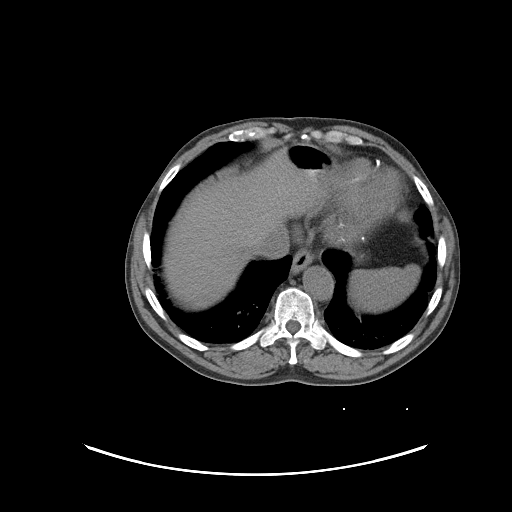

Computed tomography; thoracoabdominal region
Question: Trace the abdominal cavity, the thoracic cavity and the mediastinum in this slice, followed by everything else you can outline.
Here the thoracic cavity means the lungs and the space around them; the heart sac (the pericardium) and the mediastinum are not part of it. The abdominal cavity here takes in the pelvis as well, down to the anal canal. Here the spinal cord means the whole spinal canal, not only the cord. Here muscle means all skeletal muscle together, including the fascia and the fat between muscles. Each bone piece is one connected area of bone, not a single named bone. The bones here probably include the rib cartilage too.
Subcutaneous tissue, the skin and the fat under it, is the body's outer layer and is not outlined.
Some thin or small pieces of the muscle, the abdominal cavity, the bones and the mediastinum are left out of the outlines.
Answer: The abdominal cavity appears in 2 outlined pieces: piece 1: 265 140; 317 141; 341 152; 335 158; 339 168; 335 184; 317 207; 288 223; 288 255; 276 259; 252 260; 225 300; 205 311; 186 313; 168 299; 160 275; 162 242; 167 224; 184 196; 200 180; 236 156; 251 150; 255 145; 252 141; piece 2: 403 207; 411 209; 411 219; 419 227; 419 233; 429 253; 429 260; 423 268; 420 282; 415 291; 401 305; 387 313; 380 315; 363 315; 354 312; 346 304; 345 286; 351 268; 351 257; 346 252; 362 247. The thoracic cavity appears in 2 outlined pieces: piece 1: 224 141; 254 145; 200 179; 168 220; 159 257; 167 299; 186 314; 205 312; 226 300; 252 261; 286 256; 291 261; 286 278; 272 294; 272 314; 264 325; 232 343; 204 343; 183 332; 157 297; 150 233; 157 203; 167 185; 210 146; piece 2: 424 203; 432 220; 437 263; 434 289; 425 310; 410 331; 386 346; 360 349; 340 341; 319 319; 333 297; 336 284; 323 261; 323 254; 335 249; 349 255; 344 296; 345 304; 354 313; 380 316; 395 310; 416 291; 430 260; 414 217. The mediastinum appears in 3 outlined pieces: piece 1: 304 216; 305 232; 311 240; 333 248; 325 250; 322 254; 322 261; 335 280; 333 294; 328 305; 318 317; 310 295; 295 286; 288 286; 280 290; 273 305; 272 302; 276 288; 287 278; 292 261; 289 255; 290 235; 288 225; 291 221; piece 2: 325 142; 326 143; 338 144; 339 145; 345 145; 346 146; 373 147; 379 150; 381 150; 384 153; 387 154; 391 159; 393 160; 393 161; 377 156; 368 152; 363 152; 362 151; 358 151; 357 150; 345 150; 344 151; 340 151; 325 143; piece 3: 410 179; 411 179; 413 182; 417 191; 419 193; 421 198; 424 202; 417 208; 417 209; 414 212; 414 214; 413 215; 413 217; 417 224; 412 219; 413 218; 413 211; 412 209; 407 206; 412 198; 412 193; 413 192; 413 187. The bones appear in 11 outlined pieces: piece 1: 288 287; 308 294; 320 323; 340 342; 359 349; 362 356; 345 355; 328 343; 318 350; 305 338; 301 338; 295 348; 295 364; 288 362; 290 348; 282 337; 265 347; 257 341; 243 349; 230 349; 231 344; 253 334; 269 321; 278 293, around a hole outlined by 290 320; 293 320; 294 321; 296 321; 297 322; 298 322; 299 323; 299 324; 300 325; 300 327; 299 328; 299 329; 297 331; 296 331; 294 333; 291 333; 286 328; 286 324; 287 323; 287 322; 288 321; 289 321; piece 2: 315 129; 319 129; 322 131; 326 131; 327 130; 338 130; 351 135; 359 136; 369 145; 352 145; 345 142; 333 143; 332 142; 326 142; 322 139; 316 140; 313 138; 308 140; 302 139; 300 138; 300 135; 303 133; 308 133; 310 131; piece 3: 252 126; 260 126; 261 127; 274 127; 276 129; 276 132; 275 133; 273 134; 267 134; 264 137; 259 139; 248 139; 243 141; 231 141; 230 140; 226 140; 227 139; 227 136; 231 132; 235 130; 244 129; 245 128; 248 128; piece 4: 146 287; 149 287; 155 293; 155 294; 156 295; 156 297; 158 299; 162 308; 164 310; 165 313; 167 315; 167 319; 166 320; 164 320; 163 319; 162 319; 156 313; 156 312; 153 309; 153 308; 149 303; 149 302; 145 295; 145 288; piece 5: 409 332; 412 332; 414 334; 414 336; 411 340; 411 341; 408 344; 407 344; 401 349; 395 352; 393 352; 389 354; 383 354; 382 353; 382 351; 384 350; 389 345; 390 345; 393 342; 399 339; 404 335; 407 334; piece 6: 412 175; 416 175; 419 178; 420 178; 421 179; 421 180; 426 185; 426 186; 431 195; 431 197; 433 200; 433 205; 432 206; 429 207; 425 203; 424 200; 422 198; 420 193; 418 191; 418 190; 417 189; 417 188; 412 179; piece 7: 179 332; 184 333; 198 340; 200 342; 205 344; 209 348; 209 349; 207 350; 203 350; 202 351; 200 351; 197 349; 195 349; 187 345; 185 343; 181 341; 177 337; 176 335; 177 333; piece 8: 145 231; 147 231; 149 233; 149 241; 150 242; 150 251; 151 252; 151 268; 150 269; 149 269; 147 267; 147 265; 145 262; 145 260; 144 259; 144 257; 143 256; 143 252; 142 251; 142 242; 143 241; 143 234; piece 9: 439 286; 441 286; 442 287; 442 293; 441 294; 441 297; 437 305; 435 307; 433 311; 429 315; 427 316; 425 315; 424 312; 427 308; 427 306; 428 305; 428 303; 429 302; 429 300; 431 297; 431 295; 432 293; 434 291; 435 288; piece 10: 440 235; 442 235; 444 237; 444 238; 445 239; 445 244; 446 245; 446 255; 445 256; 445 261; 444 262; 444 264; 443 265; 443 266; 442 267; 440 267; 438 265; 438 263; 437 262; 437 241; 438 240; 438 238; 439 237; 439 236; piece 11: 177 163; 180 163; 181 164; 181 168; 177 172; 177 173; 173 177; 173 178; 166 185; 166 186; 162 190; 162 191; 160 193; 158 193; 158 188; 159 187; 164 176; 166 174; 166 173; 168 171; 168 170; 173 165; 174 165. The pericardium is outlined by 345 151; 368 153; 393 162; 405 172; 412 187; 411 198; 407 205; 396 211; 387 223; 379 228; 375 232; 374 236; 362 246; 349 251; 326 246; 313 241; 306 232; 304 225; 306 215; 324 201; 336 184; 340 170; 336 158; 338 154. The muscle appears in 3 outlined pieces: piece 1: 163 176; 157 188; 160 194; 151 229; 150 232; 143 232; 141 242; 146 267; 153 270; 154 291; 149 286; 144 288; 148 303; 162 320; 166 321; 168 317; 181 330; 176 333; 176 337; 195 350; 209 350; 205 343; 230 344; 229 349; 232 351; 246 349; 257 342; 265 348; 282 338; 289 348; 288 364; 260 378; 226 376; 184 355; 161 338; 142 318; 134 301; 130 280; 133 239; 139 218; piece 2: 427 185; 440 203; 454 239; 453 289; 436 328; 402 358; 361 378; 321 377; 296 364; 296 348; 301 339; 315 350; 323 350; 328 344; 340 354; 354 358; 363 356; 361 350; 383 347; 386 347; 381 351; 383 355; 395 353; 412 341; 415 334; 411 330; 422 315; 427 317; 434 311; 443 293; 441 285; 435 287; 437 267; 445 264; 447 245; 442 234; 437 240; 435 237; 429 209; 434 200; piece 3: 256 120; 281 123; 293 128; 303 128; 317 124; 344 124; 359 128; 381 138; 405 157; 417 170; 426 184; 416 174; 412 174; 410 178; 406 172; 387 153; 381 149; 373 146; 361 146; 370 145; 359 135; 351 134; 338 129; 322 130; 319 128; 315 128; 308 132; 303 132; 300 134; 299 138; 301 139; 289 139; 291 135; 289 133; 286 133; 283 136; 284 139; 265 139; 264 140; 250 141; 249 140; 250 140; 259 140; 260 139; 264 138; 267 135; 273 135; 277 132; 277 129; 274 126; 261 126; 260 125; 252 125; 231 131; 226 136; 225 140; 218 141; 210 145; 183 167; 180 162; 173 164; 164 175; 168 167; 183 152; 203 137; 216 133; 231 126. The spinal cord is outlined by 290 320; 293 320; 294 321; 296 321; 297 322; 298 322; 299 323; 299 324; 300 325; 300 327; 299 328; 299 329; 297 331; 296 331; 294 333; 291 333; 286 328; 286 324; 287 323; 287 322; 288 321; 289 321. The torso is outlined by 260 116; 345 118; 386 131; 415 156; 453 217; 460 246; 460 283; 450 317; 426 349; 379 379; 342 386; 295 381; 239 385; 218 381; 192 370; 155 343; 132 312; 124 281; 126 248; 134 218; 154 182; 176 151; 199 132; 221 123.